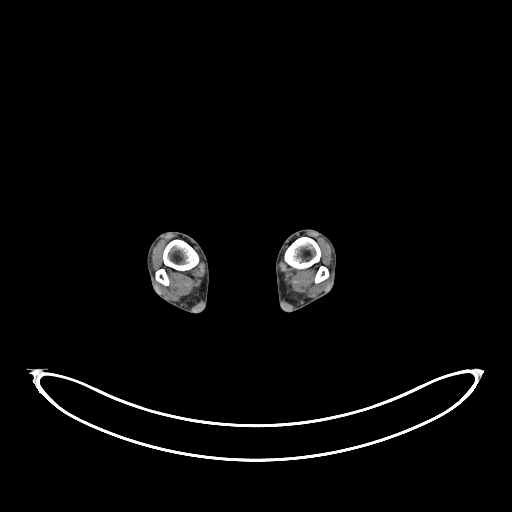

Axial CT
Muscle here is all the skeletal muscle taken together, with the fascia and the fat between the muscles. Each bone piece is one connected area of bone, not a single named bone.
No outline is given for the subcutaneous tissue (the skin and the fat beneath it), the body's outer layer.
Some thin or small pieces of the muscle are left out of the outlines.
{"bones":[[[300,236],[308,236],[309,237],[313,238],[318,244],[320,248],[320,250],[321,251],[321,255],[320,256],[319,262],[315,263],[310,267],[308,267],[304,269],[296,269],[288,265],[283,259],[283,255],[284,254],[284,252],[286,248],[296,238]],[[175,238],[179,238],[180,239],[182,239],[186,241],[189,244],[190,244],[198,253],[200,257],[199,262],[191,269],[189,269],[185,271],[180,271],[179,270],[176,270],[169,266],[166,266],[164,264],[163,262],[163,251],[166,245],[171,240]],[[320,265],[323,265],[324,266],[325,266],[329,270],[329,275],[328,276],[328,277],[327,278],[326,278],[324,280],[323,280],[322,281],[321,281],[318,283],[316,283],[315,282],[315,275],[316,274],[316,272],[317,271],[317,270],[318,269],[318,268]],[[160,268],[164,268],[165,269],[165,271],[166,272],[166,273],[167,274],[167,276],[168,277],[168,280],[169,281],[169,283],[168,284],[168,285],[164,285],[163,284],[162,284],[160,282],[158,282],[155,279],[155,272],[158,269],[159,269]]],"left_leg":[[[304,228],[312,228],[318,230],[320,232],[325,234],[333,242],[337,255],[335,281],[333,287],[326,295],[304,306],[300,309],[287,313],[282,311],[280,309],[278,303],[276,276],[275,275],[275,259],[278,250],[283,241],[293,232]]],"muscle":[[[168,234],[173,234],[175,237],[162,251],[162,262],[166,267],[185,272],[194,268],[201,257],[205,262],[200,292],[202,305],[196,311],[167,299],[156,288],[154,275],[158,283],[164,286],[170,283],[166,269],[160,267],[154,273],[152,265],[154,247]],{"outer":[[307,232],[318,234],[330,246],[332,255],[332,285],[327,291],[286,311],[283,306],[283,294],[286,287],[283,281],[283,274],[279,269],[279,264],[282,258],[288,266],[296,270],[310,268],[319,263],[321,259],[322,251],[317,241],[311,236],[302,235]],"hole":[[320,265],[323,265],[324,266],[325,266],[329,270],[329,275],[328,276],[328,277],[327,278],[326,278],[324,280],[323,280],[322,281],[321,281],[318,283],[316,283],[315,282],[315,275],[316,274],[316,272],[317,271],[317,270],[318,269],[318,268]]}],"right_leg":[[[169,230],[180,231],[188,234],[194,238],[199,243],[207,257],[209,265],[209,287],[207,296],[207,304],[205,309],[200,313],[190,313],[164,301],[155,293],[150,283],[150,279],[146,267],[146,255],[148,248],[151,242],[156,236],[162,232]]]}